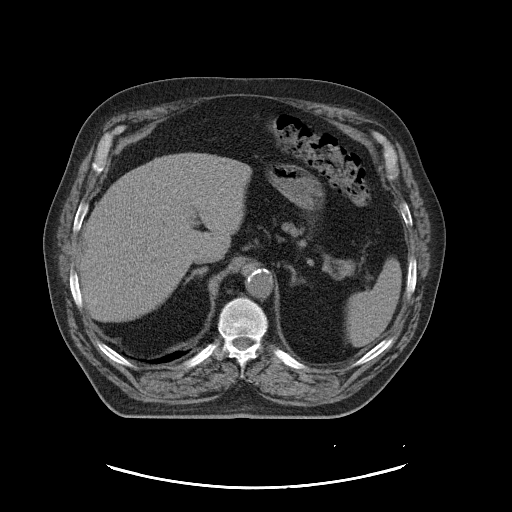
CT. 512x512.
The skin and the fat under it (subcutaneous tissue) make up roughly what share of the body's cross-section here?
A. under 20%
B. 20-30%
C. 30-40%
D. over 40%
Answer: A. under 20%
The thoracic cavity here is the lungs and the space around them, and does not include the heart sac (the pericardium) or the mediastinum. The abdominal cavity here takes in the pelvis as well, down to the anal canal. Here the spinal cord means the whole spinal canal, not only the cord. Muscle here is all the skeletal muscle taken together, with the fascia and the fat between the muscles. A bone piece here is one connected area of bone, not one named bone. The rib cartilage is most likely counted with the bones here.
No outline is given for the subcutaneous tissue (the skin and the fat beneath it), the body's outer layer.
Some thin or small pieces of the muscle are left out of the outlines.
Outlines (x, y in pixels):
abdominal cavity: (234, 96) (301, 108) (370, 142) (381, 159) (404, 223) (405, 294) (386, 337) (354, 361) (311, 365) (284, 349) (277, 280) (271, 268) (257, 260) (242, 260) (213, 282) (216, 330) (196, 348) (142, 359) (104, 341) (84, 309) (77, 272) (81, 228) (117, 143) (203, 102)
spinal cord: (241, 337) (245, 337) (246, 338) (248, 338) (249, 339) (250, 339) (252, 341) (252, 343) (248, 347) (247, 347) (245, 349) (239, 349) (238, 348) (237, 348) (233, 344) (233, 340) (234, 340) (235, 339) (236, 339) (237, 338) (240, 338)
torso: (184, 76) (299, 77) (340, 83) (364, 91) (385, 103) (402, 119) (411, 133) (445, 221) (443, 267) (431, 316) (417, 345) (383, 389) (356, 411) (330, 419) (123, 417) (103, 403) (64, 342) (50, 302) (42, 237) (46, 216) (76, 135) (89, 114) (114, 93) (145, 82)
thoracic cavity: (208, 338) (211, 338) (211, 340) (205, 346) (191, 356) (160, 364) (149, 364) (145, 362) (140, 362) (128, 358) (122, 355) (105, 342) (118, 347) (125, 353) (131, 356) (139, 358) (142, 360) (153, 360) (161, 358) (176, 351) (188, 351) (199, 348)
mediastinum: (242, 261) (257, 261) (270, 268) (275, 277) (279, 336) (284, 345) (282, 349) (274, 341) (274, 338) (268, 331) (269, 321) (266, 313) (257, 302) (247, 296) (236, 296) (227, 301) (222, 306) (218, 314) (217, 322) (217, 313) (212, 291) (213, 284) (219, 277) (232, 270)
muscle: (230, 91) (232, 92) (253, 92) (254, 93) (269, 94) (277, 96) (300, 98) (315, 102) (336, 105) (339, 107) (351, 108) (356, 111) (366, 113) (384, 125) (401, 143) (416, 180) (430, 222) (430, 266) (426, 275) (423, 295) (421, 300) (421, 308) (419, 312) (419, 319) (416, 329) (412, 338) (407, 345) (387, 366) (370, 379) (356, 392) (341, 400) (331, 403) (325, 403) (324, 404) (312, 405) (311, 406) (282, 404) (272, 400) (269, 400) (257, 392) (249, 383) (245, 381) (240, 381) (238, 383) (232, 385) (231, 387) (224, 391) (219, 396) (214, 397) (212, 399) (206, 401) (194, 402) (193, 403) (174, 403) (173, 404) (160, 403) (159, 402) (145, 402) (141, 400) (134, 399) (128, 396) (115, 384) (100, 373) (80, 352) (75, 345) (69, 333) (69, 327) (67, 323) (67, 316) (61, 289) (58, 265) (57, 264) (57, 258) (56, 257) (56, 251) (55, 250) (56, 239) (57, 238) (56, 235) (59, 224) (59, 219) (64, 203) (68, 196) (71, 186) (76, 177) (79, 167) (97, 134) (106, 121) (111, 117) (138, 106) (161, 102) (175, 98) (182, 98) (183, 97) (229, 92) with holes at (234, 96) (284, 102) (351, 130) (372, 144) (384, 169) (383, 147) (370, 130) (383, 134) (393, 146) (399, 174) (387, 180) (397, 205) (404, 200) (412, 217) (412, 226) (405, 224) (404, 231) (407, 259) (416, 259) (416, 284) (409, 298) (404, 295) (386, 336) (393, 337) (391, 345) (369, 361) (353, 367) (352, 361) (319, 366) (297, 358) (307, 367) (293, 368) (274, 354) (280, 346) (267, 331) (262, 349) (245, 364) (241, 378) (234, 358) (219, 360) (214, 353) (190, 368) (182, 364) (188, 357) (160, 364) (128, 358) (134, 366) (129, 367) (95, 344) (104, 341) (84, 307) (75, 304) (69, 285) (71, 266) (76, 271) (78, 265) (81, 230) (74, 233) (72, 227) (81, 200) (89, 203) (100, 190) (120, 140) (208, 100) and at (119, 124) (124, 124) (126, 126) (126, 128) (121, 133) (116, 135) (113, 138) (111, 145) (109, 148) (109, 151) (107, 154) (104, 168) (99, 174) (97, 174) (95, 171) (92, 169) (91, 164) (94, 159) (94, 155) (96, 152) (98, 143) (102, 136) (106, 132) (110, 131)
bones 1: (236, 297) (247, 297) (257, 303) (268, 321) (267, 331) (261, 339) (262, 349) (256, 352) (256, 358) (245, 364) (244, 377) (241, 378) (240, 366) (234, 358) (226, 356) (219, 360) (214, 353) (190, 368) (185, 367) (182, 364) (185, 360) (219, 336) (219, 314) (223, 306) with a hole at (241, 337) (245, 337) (246, 338) (248, 338) (249, 339) (250, 339) (252, 341) (252, 343) (248, 347) (247, 347) (245, 349) (239, 349) (238, 348) (237, 348) (233, 344) (233, 340) (234, 340) (235, 339) (236, 339) (237, 338) (240, 338)
bones 2: (119, 124) (124, 124) (126, 126) (126, 128) (121, 133) (116, 135) (113, 138) (111, 145) (109, 148) (109, 151) (107, 154) (104, 168) (99, 174) (97, 174) (95, 171) (92, 169) (91, 164) (94, 159) (94, 155) (96, 152) (98, 143) (102, 136) (106, 132) (110, 131)
bones 3: (370, 130) (376, 130) (380, 133) (383, 134) (393, 146) (395, 150) (395, 152) (397, 155) (397, 165) (399, 168) (399, 174) (395, 179) (393, 179) (392, 180) (388, 179) (387, 175) (386, 174) (386, 169) (385, 168) (385, 159) (383, 155) (383, 147) (372, 136) (370, 133)
bones 4: (387, 337) (393, 337) (393, 341) (390, 346) (386, 348) (378, 355) (377, 355) (374, 358) (371, 359) (369, 361) (365, 363) (360, 364) (357, 366) (354, 366) (353, 367) (351, 367) (350, 366) (350, 365) (353, 362) (357, 360) (366, 352) (370, 350) (383, 339)
bones 5: (412, 255) (413, 256) (414, 256) (416, 259) (416, 284) (415, 285) (415, 289) (414, 290) (414, 291) (413, 292) (413, 293) (411, 295) (411, 296) (409, 298) (408, 298) (406, 295) (406, 282) (407, 281) (407, 272) (408, 271) (408, 260) (409, 259) (409, 258)
bones 6: (96, 340) (99, 340) (107, 344) (111, 348) (115, 350) (122, 356) (126, 358) (131, 363) (132, 363) (134, 367) (129, 367) (128, 366) (126, 366) (125, 365) (120, 364) (112, 360) (100, 349) (99, 349) (99, 348) (95, 344) (95, 341)
bones 7: (71, 266) (73, 267) (73, 268) (77, 273) (78, 283) (79, 284) (79, 290) (81, 294) (81, 299) (82, 300) (82, 307) (80, 309) (79, 309) (75, 304) (73, 297) (71, 294) (71, 291) (70, 290) (70, 286) (69, 285) (69, 274) (70, 273) (70, 269) (71, 268)
bones 8: (276, 347) (285, 351) (291, 356) (295, 358) (298, 361) (306, 365) (307, 367) (305, 369) (297, 369) (296, 368) (293, 368) (288, 365) (286, 365) (284, 363) (283, 363) (282, 361) (274, 354) (273, 352) (273, 349)
bones 9: (82, 199) (84, 199) (86, 201) (87, 201) (89, 203) (89, 205) (88, 206) (87, 212) (82, 221) (81, 227) (79, 231) (78, 231) (76, 233) (74, 233) (72, 231) (72, 227) (73, 226) (73, 221) (74, 220) (74, 217) (75, 216) (76, 211) (78, 208) (78, 206)
bones 10: (403, 200) (404, 200) (407, 203) (408, 205) (408, 207) (410, 210) (410, 213) (411, 214) (411, 216) (412, 217) (412, 221) (413, 222) (413, 224) (412, 226) (408, 226) (405, 224) (403, 220) (403, 218) (400, 213) (400, 210) (399, 209) (399, 204) (400, 202) (401, 202)